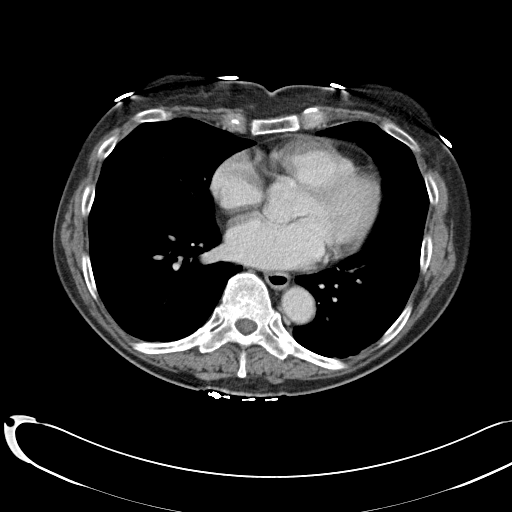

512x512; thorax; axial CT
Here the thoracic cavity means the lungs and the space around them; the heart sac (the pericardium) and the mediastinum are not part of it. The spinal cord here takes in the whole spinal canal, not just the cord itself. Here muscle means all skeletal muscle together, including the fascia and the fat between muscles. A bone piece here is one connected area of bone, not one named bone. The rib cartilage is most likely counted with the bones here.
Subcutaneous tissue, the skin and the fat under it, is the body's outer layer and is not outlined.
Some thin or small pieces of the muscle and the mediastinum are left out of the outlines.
{"pericardium":[[[286,134],[313,134],[355,144],[371,157],[381,178],[382,198],[379,212],[375,223],[361,249],[332,266],[311,273],[263,271],[228,258],[226,252],[221,246],[222,232],[216,220],[216,211],[209,189],[214,172],[227,158],[238,152],[250,149],[267,139]]],"thoracic_cavity":[[[176,118],[195,119],[254,142],[222,161],[213,172],[208,187],[214,220],[221,235],[220,246],[227,260],[240,265],[242,269],[227,279],[219,302],[194,331],[174,340],[148,341],[125,331],[99,296],[89,254],[88,217],[103,162],[118,142],[140,124]],[[352,121],[373,123],[410,149],[423,178],[429,204],[420,243],[419,271],[406,304],[376,341],[357,354],[339,358],[307,348],[292,332],[312,322],[318,306],[312,294],[296,278],[318,273],[359,252],[380,212],[382,178],[372,157],[352,140],[317,134]]],"torso":[[[175,71],[241,77],[272,88],[340,79],[391,82],[427,104],[462,172],[472,234],[457,291],[416,342],[348,383],[302,395],[251,399],[194,390],[158,378],[118,354],[88,325],[64,293],[52,259],[52,228],[64,184],[84,140],[108,108],[153,78]]],"bones":[{"outer":[[240,272],[249,272],[261,279],[272,307],[298,343],[317,354],[338,358],[347,366],[329,369],[290,354],[279,359],[258,344],[243,346],[231,341],[205,353],[197,346],[150,354],[134,349],[130,344],[134,341],[169,342],[194,332],[220,302],[228,279]],"hole":[[245,318],[246,319],[248,319],[249,320],[251,320],[252,321],[253,321],[256,324],[256,327],[255,328],[255,329],[253,331],[252,331],[251,332],[250,332],[247,334],[244,334],[243,333],[242,333],[236,327],[236,322],[239,319],[244,319]]},[[294,113],[297,114],[301,124],[301,128],[297,131],[276,132],[275,133],[260,134],[254,136],[251,135],[249,131],[249,128],[250,127],[249,124],[250,121],[253,118],[263,118],[264,119],[267,119],[268,118],[283,117]],[[408,303],[410,303],[411,304],[412,306],[412,309],[411,310],[410,315],[403,327],[398,332],[398,333],[396,335],[395,335],[388,342],[387,342],[382,346],[378,346],[378,340],[381,337],[384,332],[395,321],[395,320],[399,316],[405,306]],[[385,122],[391,122],[395,125],[396,125],[399,128],[403,130],[416,142],[418,146],[418,148],[419,149],[417,151],[412,151],[411,149],[403,142],[400,141],[398,139],[395,138],[393,136],[385,132],[380,127],[381,125]],[[311,106],[317,106],[319,108],[319,109],[324,113],[324,120],[325,121],[325,125],[324,125],[323,126],[322,125],[320,127],[314,127],[313,128],[303,128],[303,125],[304,124],[304,116],[302,114],[302,111],[305,108],[306,108],[307,107],[310,107]],[[152,108],[160,108],[161,109],[163,109],[165,111],[168,112],[170,114],[170,119],[169,120],[166,120],[165,121],[155,121],[154,122],[143,122],[142,123],[138,123],[135,119],[135,115],[139,112],[141,112],[144,110],[147,110],[148,109],[151,109]],[[83,253],[87,253],[89,255],[89,257],[90,258],[92,273],[93,274],[93,277],[95,281],[95,285],[96,286],[97,293],[98,294],[98,298],[96,300],[92,297],[87,287],[87,285],[83,275],[83,272],[82,271],[82,263],[81,262],[81,258]],[[424,234],[428,234],[430,235],[431,237],[431,240],[432,241],[432,250],[431,251],[431,257],[429,261],[429,264],[427,267],[427,269],[425,272],[423,273],[420,271],[419,260],[420,259],[420,254],[421,253],[421,243],[422,242],[422,239]],[[93,184],[95,185],[95,195],[94,196],[94,198],[93,199],[93,202],[91,205],[91,208],[88,214],[88,216],[86,217],[85,216],[83,216],[81,213],[81,202],[82,201],[82,195],[83,194],[83,192],[84,191],[85,187],[87,185],[92,185]],[[427,173],[430,174],[432,176],[433,179],[436,183],[436,185],[438,189],[438,194],[439,195],[439,197],[438,198],[438,201],[437,203],[435,204],[430,204],[429,202],[429,196],[426,189],[426,186],[425,185],[425,182],[423,177],[423,175]],[[230,114],[239,114],[241,116],[241,119],[242,120],[242,122],[244,126],[244,128],[242,132],[238,132],[237,131],[229,131],[227,129],[223,129],[222,128],[223,127],[223,125],[225,123],[226,120],[228,118],[228,116]],[[113,135],[116,135],[118,138],[118,141],[115,145],[114,148],[111,151],[111,152],[104,159],[101,159],[100,158],[99,158],[97,155],[97,152],[98,151],[98,149],[99,148],[99,147],[101,145],[101,144],[106,139],[107,139],[109,137],[110,137]],[[242,351],[245,351],[245,352],[246,353],[246,363],[245,364],[245,369],[246,370],[246,375],[245,376],[245,377],[244,377],[243,378],[242,378],[241,377],[238,377],[237,376],[237,372],[238,371],[238,369],[239,368],[239,357],[240,356],[240,354]]],"spinal_cord":[[[245,318],[246,319],[248,319],[249,320],[251,320],[252,321],[253,321],[256,324],[256,327],[255,328],[255,329],[253,331],[252,331],[251,332],[250,332],[247,334],[244,334],[243,333],[242,333],[236,327],[236,322],[239,319],[244,319]]],"muscle":[[[133,116],[138,125],[119,141],[116,134],[109,136],[97,149],[96,155],[103,161],[96,184],[87,184],[81,195],[80,213],[87,217],[88,253],[81,254],[80,262],[91,297],[96,301],[99,297],[115,322],[125,332],[140,340],[129,343],[138,352],[147,355],[167,354],[197,347],[201,354],[205,354],[231,342],[243,347],[258,345],[279,360],[284,360],[290,355],[336,371],[348,366],[341,359],[357,355],[377,341],[378,347],[388,343],[408,321],[413,309],[412,304],[407,303],[408,299],[419,272],[426,272],[432,257],[432,237],[428,233],[423,234],[423,230],[429,205],[437,204],[440,195],[433,176],[428,172],[422,175],[418,167],[413,152],[419,150],[427,164],[437,169],[447,188],[453,211],[455,267],[422,315],[397,344],[375,361],[354,372],[323,379],[286,379],[280,383],[271,383],[261,378],[246,379],[245,350],[242,350],[238,357],[237,377],[204,380],[185,371],[170,371],[148,363],[122,348],[88,314],[71,277],[60,241],[60,229],[67,206],[87,172],[94,146],[106,133],[121,126]],[[160,106],[192,106],[203,109],[215,109],[221,107],[241,108],[249,117],[253,117],[248,124],[248,131],[250,134],[242,133],[245,126],[242,116],[239,113],[230,113],[222,127],[218,127],[191,117],[176,117],[171,119],[171,114],[163,108],[159,107]],[[317,105],[329,106],[335,108],[342,108],[349,110],[360,110],[361,111],[370,112],[380,116],[386,117],[391,120],[391,121],[385,121],[380,126],[373,122],[363,121],[362,120],[352,120],[351,121],[341,122],[340,123],[329,123],[326,125],[325,113]]],"mediastinum":[[[228,259],[263,272],[309,274],[298,275],[295,278],[295,281],[307,290],[317,302],[316,313],[313,320],[305,325],[294,327],[291,333],[285,327],[282,321],[281,314],[273,307],[268,288],[262,279],[255,273],[242,271],[243,268],[240,264],[234,264]],[[329,124],[338,124],[335,124],[332,126],[329,126],[319,130],[316,134],[313,133],[279,134],[274,137],[267,138],[260,141],[256,144],[253,140],[237,136],[232,132],[248,134],[254,137],[260,135],[267,135],[276,133],[297,132],[302,129],[320,128]]]}